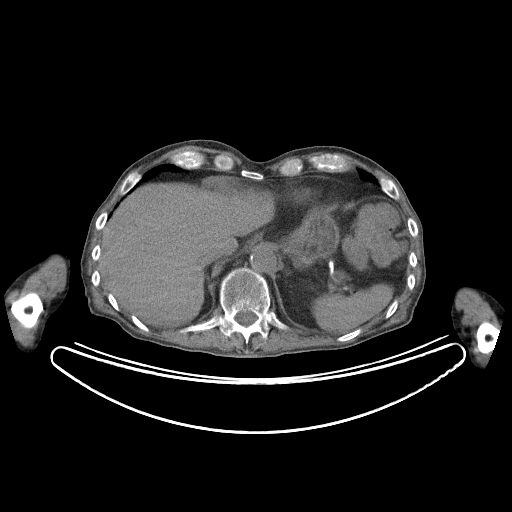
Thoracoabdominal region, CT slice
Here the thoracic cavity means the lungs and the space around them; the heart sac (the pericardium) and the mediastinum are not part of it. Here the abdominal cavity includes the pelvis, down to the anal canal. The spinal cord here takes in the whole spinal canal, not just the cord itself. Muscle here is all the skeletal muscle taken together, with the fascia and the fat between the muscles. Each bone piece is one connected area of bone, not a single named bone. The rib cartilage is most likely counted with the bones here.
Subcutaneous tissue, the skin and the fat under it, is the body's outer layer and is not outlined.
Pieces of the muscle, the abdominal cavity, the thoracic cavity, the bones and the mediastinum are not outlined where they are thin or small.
{"left_arm":[[[463,284],[469,284],[480,287],[491,294],[504,308],[501,327],[499,329],[499,334],[497,340],[493,350],[490,354],[489,359],[485,367],[482,370],[478,369],[472,364],[466,347],[460,341],[453,328],[451,321],[451,314],[450,313],[454,292],[456,288]]],"thoracic_cavity":[[[164,163],[169,163],[177,167],[181,168],[179,171],[170,171],[169,170],[167,171],[162,171],[156,175],[154,175],[151,177],[149,177],[147,179],[143,180],[136,187],[135,187],[135,186],[136,186],[142,179],[143,177],[143,174],[144,173],[151,168]],[[357,168],[361,168],[362,169],[363,169],[364,170],[369,172],[371,174],[372,174],[377,179],[377,182],[378,183],[378,186],[377,185],[376,185],[374,183],[372,183],[369,181],[366,181],[365,180],[364,180],[359,175],[359,174],[357,171]]],"right_arm":[[[54,250],[61,250],[69,256],[71,265],[69,290],[62,303],[48,319],[45,325],[41,340],[36,350],[31,353],[26,353],[21,351],[16,345],[12,329],[10,326],[10,322],[8,319],[8,314],[6,311],[4,292],[8,286],[23,271]]],"torso":[[[198,138],[227,143],[256,161],[306,146],[342,146],[371,158],[390,171],[404,188],[423,227],[426,278],[411,321],[405,326],[343,349],[237,358],[185,351],[137,339],[114,321],[90,313],[80,275],[80,258],[93,213],[121,173],[134,161],[161,146]]],"mediastinum":[[[255,245],[271,247],[279,254],[279,261],[270,273],[271,289],[270,290],[269,288],[269,285],[266,278],[261,273],[245,265],[237,266],[229,270],[221,278],[219,282],[219,285],[218,285],[214,277],[225,266],[226,262],[232,259],[239,253],[241,253]],[[314,170],[330,173],[336,172],[342,173],[356,170],[358,175],[364,181],[374,184],[385,195],[379,193],[369,193],[361,196],[359,198],[354,198],[353,189],[350,183],[345,182],[340,178],[322,175],[297,177],[283,177],[262,180],[267,178],[268,176],[284,176],[293,177],[294,176]]],"pericardium":[[[312,176],[322,176],[340,179],[345,183],[350,184],[352,189],[353,198],[341,203],[334,203],[333,204],[316,204],[303,207],[300,205],[288,202],[285,198],[285,195],[283,191],[276,190],[265,186],[261,182],[261,181],[273,179],[311,177]]],"bones":[{"outer":[[243,266],[265,278],[270,293],[269,309],[274,311],[288,328],[280,329],[270,324],[266,339],[259,332],[253,332],[247,343],[240,332],[235,331],[230,336],[226,336],[218,326],[201,331],[178,332],[181,328],[223,313],[219,303],[220,282],[229,271]],"hole":[[241,311],[249,311],[250,312],[252,312],[256,316],[256,319],[252,323],[251,323],[249,325],[247,325],[246,326],[245,325],[243,325],[242,324],[241,324],[240,323],[239,323],[235,319],[235,316],[239,312],[240,312]]},[[28,292],[35,292],[37,293],[41,299],[42,303],[43,304],[43,310],[38,316],[37,318],[37,321],[35,325],[31,328],[26,328],[22,326],[22,325],[10,312],[10,306],[11,305],[11,303],[13,301],[16,300],[20,296],[22,296]],[[326,153],[336,154],[343,157],[350,163],[351,165],[351,169],[347,171],[343,171],[342,172],[338,172],[337,171],[335,172],[330,172],[329,171],[324,171],[323,170],[317,170],[315,169],[311,165],[311,164],[308,162],[308,159],[312,156],[321,155]],[[483,321],[488,321],[492,324],[493,324],[496,327],[499,328],[499,334],[498,335],[497,340],[495,343],[495,345],[493,348],[493,350],[491,352],[491,353],[482,353],[480,352],[477,349],[477,340],[476,339],[476,332],[477,331],[477,328],[478,326]],[[183,151],[196,151],[197,152],[200,152],[204,154],[205,156],[205,163],[203,165],[202,165],[201,167],[199,168],[195,168],[194,169],[185,169],[179,166],[177,166],[172,163],[170,163],[170,157],[172,155],[176,153],[178,153],[179,152],[182,152]],[[296,158],[299,158],[302,161],[302,162],[303,163],[303,169],[301,171],[301,172],[298,175],[294,175],[293,176],[285,176],[284,175],[281,175],[280,174],[280,173],[279,172],[279,168],[285,162],[286,162],[288,160],[289,160],[290,159],[295,159]],[[382,176],[391,179],[394,182],[394,183],[396,185],[396,186],[399,191],[399,198],[397,200],[395,200],[394,199],[393,199],[391,197],[388,196],[385,193],[384,193],[380,189],[380,188],[379,187],[379,183],[378,182],[378,178],[379,177],[381,177]],[[132,171],[136,171],[142,174],[142,177],[139,181],[139,182],[137,183],[136,185],[134,186],[134,187],[133,187],[125,194],[123,195],[121,195],[120,194],[120,191],[119,190],[120,188],[120,186],[123,180],[125,178],[125,177],[130,172]],[[218,154],[222,154],[223,155],[226,155],[227,156],[229,156],[233,160],[233,161],[234,162],[234,166],[231,170],[230,170],[229,171],[221,171],[220,170],[217,170],[215,168],[215,167],[213,164],[213,159],[214,158],[214,157]],[[243,169],[245,169],[246,170],[252,170],[253,171],[257,171],[258,172],[259,172],[260,173],[263,174],[264,175],[264,178],[261,180],[255,180],[254,179],[251,179],[250,178],[248,178],[247,177],[244,177],[243,176],[240,175],[240,171]],[[358,328],[361,328],[361,331],[360,332],[360,333],[358,335],[357,335],[355,337],[352,338],[350,340],[347,340],[346,341],[338,341],[337,340],[337,337],[338,337],[339,336],[341,336],[346,333],[348,333],[349,332],[351,332],[352,331],[353,331]],[[102,212],[107,212],[108,213],[108,216],[107,217],[107,219],[106,220],[106,221],[105,222],[105,224],[104,225],[104,226],[103,227],[103,228],[102,229],[100,229],[99,230],[98,230],[95,227],[95,221],[96,220],[96,219],[97,218],[97,217]],[[408,218],[412,218],[416,222],[416,224],[417,225],[417,227],[418,228],[418,234],[416,236],[415,236],[414,237],[413,236],[412,236],[410,234],[410,233],[409,232],[409,231],[408,230],[408,227],[407,226],[407,219]],[[395,299],[396,300],[397,300],[397,302],[398,303],[398,304],[397,305],[397,308],[396,309],[396,310],[388,318],[385,318],[385,313],[386,312],[386,310],[388,308],[388,307],[390,305],[390,304]],[[131,315],[134,315],[141,322],[142,322],[146,326],[147,326],[149,328],[149,330],[148,331],[145,331],[144,330],[143,330],[142,329],[141,329],[139,327],[138,327],[132,321],[132,320],[131,319]],[[108,293],[111,293],[112,294],[112,295],[115,298],[115,299],[116,300],[116,301],[117,302],[117,303],[119,306],[119,308],[120,309],[119,310],[116,310],[113,307],[113,306],[109,302],[109,301],[108,300],[108,298],[107,297],[107,296],[108,295]]],"muscle":[[[94,224],[98,231],[101,230],[101,236],[99,244],[97,243],[90,252],[91,258],[95,262],[97,261],[97,269],[92,271],[90,281],[95,287],[101,281],[108,292],[106,297],[112,307],[116,311],[119,311],[121,308],[127,312],[130,315],[131,321],[145,332],[148,332],[150,328],[153,330],[177,330],[178,333],[184,334],[218,327],[219,331],[226,337],[230,337],[235,332],[240,333],[247,344],[253,333],[259,333],[266,340],[270,325],[280,330],[287,330],[289,328],[288,324],[312,330],[316,334],[334,336],[338,342],[346,342],[358,336],[364,325],[382,314],[384,313],[384,318],[388,319],[397,310],[399,303],[396,297],[402,292],[405,285],[410,291],[414,288],[416,278],[413,273],[408,274],[408,266],[414,268],[418,263],[418,259],[415,252],[410,251],[410,235],[414,238],[419,233],[421,274],[419,284],[411,296],[411,301],[403,320],[354,340],[320,347],[286,349],[260,354],[240,354],[212,348],[201,349],[143,335],[131,329],[117,317],[96,308],[90,289],[90,277],[87,274],[88,250]],{"outer":[[54,255],[58,255],[64,258],[66,261],[65,287],[49,305],[49,311],[43,317],[38,329],[36,345],[33,347],[19,347],[16,345],[16,342],[14,339],[10,322],[8,319],[8,314],[6,311],[4,299],[13,288],[25,281],[43,263]],"hole":[[28,292],[35,292],[37,293],[41,299],[42,303],[43,304],[43,310],[38,316],[37,318],[37,321],[35,325],[31,328],[26,328],[22,326],[22,325],[10,312],[10,306],[11,305],[11,303],[13,301],[16,300],[20,296],[22,296]]},[[465,288],[472,289],[483,297],[502,322],[500,328],[488,320],[483,320],[476,328],[475,332],[476,349],[482,354],[490,354],[489,359],[485,367],[476,359],[476,357],[472,351],[472,348],[463,331],[460,319],[457,313],[456,295],[462,289]],[[187,145],[194,145],[206,148],[212,148],[213,149],[229,151],[240,158],[243,163],[251,169],[243,168],[239,171],[239,173],[230,171],[234,168],[235,162],[229,155],[222,153],[216,154],[212,159],[212,164],[215,169],[202,167],[206,163],[206,156],[204,153],[196,150],[183,150],[172,154],[169,157],[169,162],[164,162],[155,165],[143,173],[141,173],[136,170],[132,170],[143,164],[146,164],[154,160],[170,150]],[[316,151],[338,152],[339,153],[346,154],[353,158],[359,160],[361,162],[366,164],[372,168],[378,169],[380,171],[386,174],[389,177],[382,175],[379,176],[377,178],[372,173],[361,167],[357,167],[356,169],[352,169],[352,165],[347,159],[339,154],[331,153],[330,152],[326,152],[321,154],[312,155],[307,159],[307,162],[310,164],[314,169],[313,170],[310,170],[307,172],[300,174],[304,169],[304,163],[299,157],[296,157],[295,158],[290,158],[288,159],[278,168],[278,172],[280,175],[268,175],[267,177],[265,177],[265,175],[263,173],[257,170],[253,170],[261,170],[265,166],[271,165],[280,161],[284,158],[290,156],[307,154]],[[398,187],[404,196],[406,203],[414,215],[416,221],[412,217],[408,217],[406,220],[406,218],[404,216],[404,214],[402,211],[402,209],[400,207],[400,205],[398,202],[396,201],[397,201],[400,198],[400,191]],[[119,186],[119,188],[118,190],[119,191],[119,194],[121,196],[116,202],[116,203],[113,206],[112,209],[109,212],[107,211],[102,211],[100,213],[100,211],[102,209],[102,208],[109,201],[109,200],[112,197],[115,191]],[[218,304],[219,304],[219,305],[220,306],[220,307],[221,308],[221,309],[222,310],[222,313],[220,313],[219,314],[214,314],[212,316],[211,316],[210,317],[210,315],[211,314],[211,313],[213,311],[213,310],[218,305]]],"spinal_cord":[[[241,311],[249,311],[250,312],[252,312],[256,316],[256,319],[252,323],[251,323],[249,325],[247,325],[246,326],[245,325],[243,325],[242,324],[241,324],[240,323],[239,323],[235,319],[235,316],[239,312],[240,312]]],"abdominal_cavity":[[[158,174],[235,174],[303,208],[386,195],[399,205],[409,233],[405,284],[385,312],[361,327],[338,336],[316,333],[278,317],[270,291],[280,254],[255,244],[214,275],[218,303],[209,318],[153,329],[120,307],[101,280],[98,260],[109,213]]]}